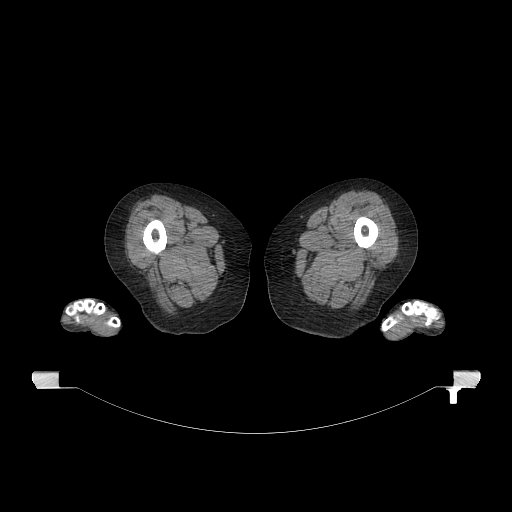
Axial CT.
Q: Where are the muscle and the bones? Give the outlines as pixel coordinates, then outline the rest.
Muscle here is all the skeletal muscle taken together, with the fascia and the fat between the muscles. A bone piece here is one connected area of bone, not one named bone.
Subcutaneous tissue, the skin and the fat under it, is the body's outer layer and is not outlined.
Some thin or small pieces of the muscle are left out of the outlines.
A: {"muscle":[{"outer":[[364,189],[376,192],[388,205],[396,224],[399,239],[398,254],[388,267],[379,274],[367,302],[360,309],[349,315],[334,316],[318,308],[310,306],[298,290],[296,275],[294,272],[294,261],[298,237],[308,217],[315,210],[329,204],[333,199],[346,191]],"hole":[[360,216],[366,216],[370,218],[376,223],[378,227],[378,234],[377,235],[377,237],[373,244],[368,248],[360,247],[357,244],[357,243],[354,239],[354,236],[353,235],[353,228],[354,227],[354,224],[355,223],[356,219]]},{"outer":[[155,193],[169,196],[182,204],[197,208],[205,216],[208,216],[211,219],[220,235],[225,258],[225,273],[222,286],[204,309],[189,316],[172,317],[164,314],[156,303],[146,280],[130,264],[125,254],[125,229],[131,210],[138,200],[144,196],[150,196]],"hole":[[152,219],[159,219],[163,223],[165,227],[165,229],[166,230],[166,234],[167,235],[167,242],[166,243],[165,248],[157,254],[150,251],[146,248],[145,245],[143,243],[143,239],[142,238],[142,234],[143,233],[143,229],[144,227],[147,224],[147,223]]},[[107,308],[112,311],[115,315],[111,315],[104,323],[111,328],[117,328],[113,332],[102,333],[88,326],[79,324],[78,325],[67,324],[63,321],[64,316],[66,314],[73,317],[75,322],[79,324],[81,320],[78,313],[85,312],[87,314],[102,315]],[[403,315],[405,316],[421,316],[423,315],[425,317],[425,320],[423,323],[423,325],[425,327],[426,327],[415,327],[414,328],[412,328],[403,335],[401,335],[400,336],[396,336],[395,337],[390,336],[387,333],[387,331],[393,326],[397,324],[403,318]],[[441,316],[441,318],[442,319],[442,326],[441,327],[440,327],[439,328],[428,328],[428,327],[429,327],[430,326],[430,325],[434,321],[437,321],[441,317]]],"bones":[[[416,300],[425,302],[430,306],[436,308],[440,313],[440,317],[437,320],[434,320],[427,327],[424,325],[426,317],[423,314],[421,315],[403,314],[402,318],[386,331],[382,331],[380,329],[382,321],[389,315],[401,313],[402,304],[405,302],[412,302]],[[152,219],[159,219],[163,223],[165,227],[165,229],[166,230],[166,234],[167,235],[167,242],[166,243],[165,248],[157,254],[150,251],[146,248],[145,245],[143,243],[143,239],[142,238],[142,234],[143,233],[143,229],[144,227],[147,224],[147,223]],[[360,216],[366,216],[370,218],[376,223],[378,227],[378,234],[377,235],[377,237],[373,244],[368,248],[360,247],[357,244],[357,243],[354,239],[354,236],[353,235],[353,228],[354,227],[354,224],[355,223],[356,219]],[[86,298],[90,298],[96,302],[102,302],[106,307],[105,311],[102,314],[87,313],[85,311],[80,311],[77,313],[79,316],[80,322],[79,323],[77,323],[73,316],[69,315],[65,312],[65,309],[67,306],[72,304],[74,302],[78,300],[83,300]],[[111,316],[116,316],[117,317],[118,317],[119,318],[119,319],[120,320],[120,325],[119,326],[119,327],[111,327],[110,326],[109,326],[108,325],[107,325],[105,323],[105,322]]],"left_arm":[[[406,298],[421,299],[435,303],[438,305],[443,310],[445,316],[445,328],[443,332],[434,336],[428,336],[418,333],[412,333],[409,336],[400,340],[396,340],[395,341],[386,340],[381,335],[380,332],[380,326],[382,322],[382,318],[397,302]]],"right_arm":[[[96,297],[97,298],[100,298],[109,303],[119,312],[120,315],[119,319],[122,323],[123,327],[121,331],[117,335],[104,337],[103,336],[94,335],[87,331],[86,332],[70,332],[62,328],[60,325],[59,320],[62,310],[68,302],[80,298],[95,298]]],"left_leg":[[[354,177],[368,177],[382,181],[399,193],[407,202],[414,214],[418,229],[418,249],[414,264],[393,295],[382,306],[377,317],[351,335],[343,338],[329,338],[292,328],[284,324],[277,317],[268,297],[263,261],[268,238],[276,224],[306,196],[333,182]]],"right_leg":[[[150,182],[183,184],[212,196],[226,206],[240,220],[250,236],[252,244],[249,260],[250,278],[244,304],[233,319],[207,333],[175,335],[163,333],[155,329],[146,320],[139,304],[116,277],[108,264],[104,250],[104,228],[109,214],[126,193],[137,186]]]}